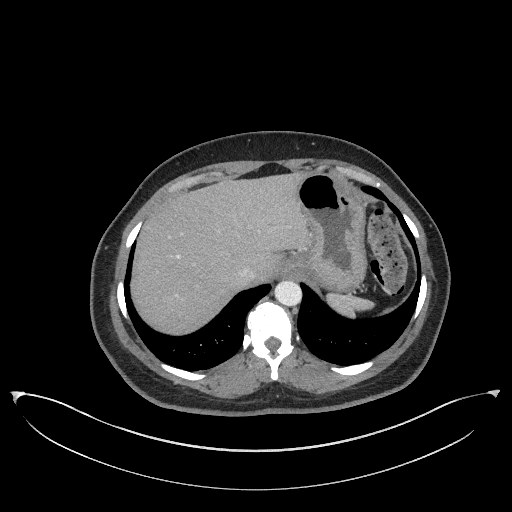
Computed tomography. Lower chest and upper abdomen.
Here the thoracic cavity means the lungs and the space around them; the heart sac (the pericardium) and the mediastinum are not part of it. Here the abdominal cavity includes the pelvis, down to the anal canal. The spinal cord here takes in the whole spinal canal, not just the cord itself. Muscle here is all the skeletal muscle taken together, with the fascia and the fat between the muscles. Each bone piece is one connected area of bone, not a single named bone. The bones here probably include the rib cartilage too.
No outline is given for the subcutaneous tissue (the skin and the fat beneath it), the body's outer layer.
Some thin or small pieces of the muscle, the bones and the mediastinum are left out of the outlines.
The spinal cord is outlined by (271, 352) (274, 352) (277, 349) (277, 348) (279, 346) (279, 345) (280, 344) (280, 341) (278, 339) (277, 339) (276, 338) (275, 338) (274, 337) (270, 337) (266, 341) (265, 341) (265, 345) (271, 351). The mediastinum is outlined by (297, 331) (296, 318) (302, 297) (302, 292) (300, 287) (301, 282) (297, 278) (295, 278) (293, 276) (289, 275) (278, 276) (277, 278) (274, 278) (270, 282) (271, 286) (270, 290) (262, 298) (264, 300) (265, 299) (271, 300) (281, 305) (290, 314) (294, 322) (294, 328). The torso is outlined by (218, 416) (314, 413) (360, 405) (400, 391) (417, 377) (429, 359) (445, 315) (451, 283) (443, 238) (432, 217) (402, 179) (368, 149) (338, 137) (294, 130) (248, 131) (204, 141) (155, 167) (100, 238) (91, 266) (89, 309) (95, 337) (105, 355) (124, 381) (155, 405). The thoracic cavity appears in 2 outlined pieces: piece 1: (336, 365) (371, 359) (389, 347) (413, 313) (420, 283) (417, 246) (401, 213) (381, 191) (367, 185) (363, 188) (386, 201) (398, 217) (414, 250) (418, 276) (408, 299) (391, 313) (356, 320) (334, 313) (311, 289) (301, 283) (303, 297) (297, 318) (301, 340) (313, 354); piece 2: (191, 371) (213, 367) (231, 357) (240, 348) (246, 315) (267, 293) (270, 286) (264, 284) (238, 293) (209, 323) (191, 334) (179, 337) (161, 334) (141, 320) (131, 302) (128, 284) (135, 247) (133, 243) (129, 251) (124, 279) (125, 299) (131, 321) (144, 343) (160, 360). The muscle is outlined by (221, 398) (237, 398) (243, 395) (247, 395) (257, 391) (260, 388) (266, 386) (268, 383) (274, 381) (276, 381) (287, 388) (292, 390) (302, 390) (315, 394) (327, 393) (328, 392) (333, 393) (339, 390) (345, 389) (358, 382) (360, 382) (365, 379) (374, 376) (382, 370) (385, 369) (396, 360) (411, 345) (418, 336) (427, 315) (428, 306) (430, 302) (430, 298) (432, 292) (432, 281) (434, 279) (432, 263) (427, 249) (427, 239) (420, 222) (412, 210) (403, 199) (382, 179) (373, 173) (357, 165) (342, 160) (333, 159) (332, 158) (311, 158) (308, 157) (307, 158) (289, 158) (288, 159) (271, 159) (270, 160) (235, 160) (234, 161) (218, 162) (217, 163) (205, 165) (193, 170) (188, 171) (165, 183) (152, 194) (139, 208) (136, 213) (127, 223) (122, 232) (121, 241) (118, 248) (118, 251) (114, 264) (114, 270) (112, 275) (112, 281) (110, 284) (110, 291) (108, 297) (108, 305) (109, 306) (109, 313) (111, 318) (111, 322) (114, 331) (119, 341) (124, 348) (134, 355) (142, 363) (158, 375) (168, 380) (170, 380) (173, 383) (180, 384) (183, 386) (187, 386) (196, 389) (201, 392) with a hole at (190, 380) (205, 377) (204, 373) (198, 372) (200, 370) (223, 362) (240, 348) (244, 351) (249, 347) (253, 354) (267, 361) (271, 379) (277, 380) (279, 363) (292, 351) (293, 342) (301, 340) (313, 354) (335, 364) (331, 370) (353, 375) (369, 368) (373, 364) (371, 359) (397, 339) (408, 322) (418, 315) (427, 282) (420, 270) (415, 242) (419, 237) (417, 228) (378, 189) (378, 181) (341, 166) (328, 170) (321, 165) (315, 171) (302, 173) (267, 164) (238, 177) (209, 183) (202, 181) (222, 174) (218, 171) (201, 173) (182, 179) (167, 189) (168, 192) (182, 191) (162, 202) (143, 224) (139, 221) (128, 234) (125, 246) (129, 255) (125, 278) (117, 284) (117, 300) (123, 316) (132, 322) (147, 347) (162, 361) (160, 366). The abdominal cavity is outlined by (176, 336) (205, 325) (238, 292) (269, 283) (282, 274) (297, 277) (343, 317) (387, 314) (413, 290) (417, 276) (413, 250) (386, 202) (331, 170) (302, 173) (267, 164) (238, 177) (192, 186) (162, 202) (143, 224) (134, 242) (129, 284) (132, 302) (142, 320) (156, 331). The bones appear in 9 outlined pieces: piece 1: (272, 380) (277, 380) (279, 363) (292, 351) (294, 347) (293, 342) (299, 342) (300, 337) (293, 328) (293, 322) (289, 314) (281, 306) (261, 299) (247, 315) (246, 327) (248, 331) (244, 334) (241, 349) (244, 351) (250, 347) (253, 354) (264, 358) (270, 366) (270, 377), around a hole outlined by (271, 352) (274, 352) (277, 349) (277, 348) (279, 346) (279, 345) (280, 344) (280, 341) (278, 339) (277, 339) (276, 338) (275, 338) (274, 337) (270, 337) (266, 341) (265, 341) (265, 345) (271, 351); piece 2: (168, 192) (173, 192) (179, 189) (187, 188) (192, 185) (200, 183) (208, 177) (210, 177) (214, 175) (220, 175) (222, 174) (218, 171) (212, 171) (208, 173) (201, 173) (200, 174) (197, 174) (193, 176) (190, 176) (172, 184) (167, 189); piece 3: (377, 188) (380, 187) (380, 183) (370, 176) (368, 176) (361, 172) (358, 172) (350, 168) (342, 167) (341, 166) (335, 166) (332, 169) (334, 171) (337, 171) (339, 173) (341, 173) (344, 175) (347, 175) (349, 177) (351, 177) (358, 181) (360, 181) (368, 185) (371, 185); piece 4: (345, 375) (353, 375) (354, 374) (357, 374) (369, 368) (373, 364) (373, 360) (369, 360) (368, 361) (366, 361) (365, 362) (363, 362) (359, 364) (355, 364) (354, 365) (350, 365) (349, 366) (331, 366) (330, 368) (331, 370) (333, 371) (335, 371) (340, 374) (344, 374); piece 5: (190, 380) (197, 380) (198, 379) (201, 379) (205, 377) (205, 374) (204, 373) (191, 372) (190, 371) (183, 370) (179, 368) (176, 368) (173, 366) (168, 365) (163, 362) (160, 362) (160, 366) (163, 369) (175, 375) (177, 375) (180, 377) (182, 377) (186, 379) (189, 379); piece 6: (410, 321) (412, 321) (415, 318) (416, 318) (422, 307) (423, 302) (425, 299) (426, 290) (427, 289) (427, 282) (426, 281) (426, 276) (424, 273) (421, 273) (421, 283) (419, 288) (419, 294) (417, 299) (417, 303) (415, 307) (414, 313); piece 7: (128, 321) (130, 321) (130, 319) (127, 313) (127, 311) (126, 310) (126, 306) (125, 305) (125, 300) (124, 299) (124, 290) (123, 289) (123, 280) (120, 280) (117, 284) (117, 300) (118, 301) (118, 304) (119, 305) (119, 307) (121, 310) (121, 312) (123, 316); piece 8: (128, 250) (129, 250) (132, 243) (134, 241) (134, 240) (137, 235) (137, 233) (139, 231) (139, 230) (142, 225) (142, 222) (141, 221) (139, 221) (132, 228) (132, 229) (128, 234) (128, 236) (126, 239) (126, 242) (125, 243) (125, 246) (126, 247) (126, 248); piece 9: (416, 239) (417, 239) (419, 237) (419, 233) (417, 230) (417, 228) (415, 226) (414, 223) (411, 220) (411, 219) (405, 213) (402, 213) (402, 215) (403, 216) (403, 217) (404, 218) (404, 219) (405, 220) (407, 225) (409, 227) (411, 232) (413, 234) (414, 237).